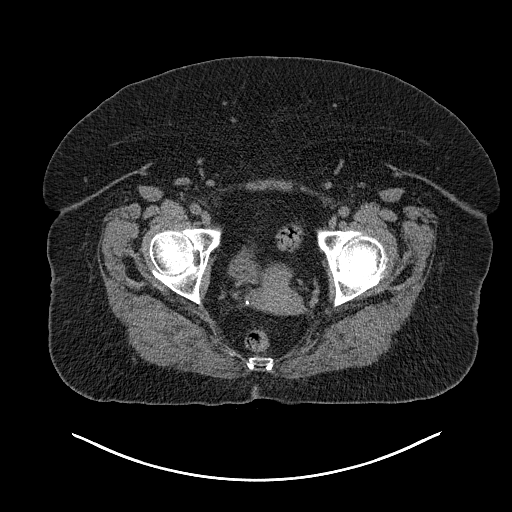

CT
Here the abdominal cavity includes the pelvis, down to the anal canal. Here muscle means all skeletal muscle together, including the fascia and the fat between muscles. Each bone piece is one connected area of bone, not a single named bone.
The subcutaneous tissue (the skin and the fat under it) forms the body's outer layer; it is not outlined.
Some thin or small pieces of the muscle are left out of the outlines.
Outlines (x, y in pixels):
muscle: 270 177; 359 200; 382 189; 402 187; 436 215; 431 269; 409 319; 394 335; 393 346; 371 365; 298 379; 258 372; 229 380; 144 361; 128 344; 126 328; 110 309; 100 275; 97 245; 105 214; 127 201; 138 184; 197 195 with a hole at 267 190; 315 197; 326 211; 321 229; 363 231; 389 257; 375 286; 333 306; 324 256; 328 303; 299 343; 271 356; 269 371; 228 353; 251 356; 229 344; 205 305; 214 249; 200 304; 157 279; 148 253; 162 230; 222 231; 226 194
abdominal cavity: 267 190; 301 192; 315 197; 325 207; 325 220; 315 231; 315 241; 325 256; 328 303; 299 343; 286 352; 271 356; 248 355; 229 344; 218 322; 210 315; 205 301; 215 250; 221 244; 224 229; 216 219; 221 212; 222 197; 236 191
torso: 249 55; 337 60; 397 76; 452 111; 488 154; 500 201; 488 216; 493 248; 480 290; 477 353; 454 387; 397 403; 287 405; 263 398; 150 405; 92 400; 58 375; 48 349; 46 253; 57 212; 42 196; 53 152; 82 117; 129 83
bones 1: 185 228; 215 228; 221 229; 222 231; 220 244; 210 253; 201 278; 199 287; 199 295; 201 300; 200 304; 197 304; 174 292; 157 279; 151 272; 153 265; 148 253; 148 249; 149 243; 152 237; 156 233; 162 230; 166 229; 181 230
bones 2: 320 228; 325 230; 343 231; 360 230; 377 238; 383 244; 389 257; 389 260; 383 273; 383 278; 375 286; 369 288; 354 298; 337 306; 333 306; 335 296; 333 276; 329 268; 326 256; 324 252; 319 248; 316 241; 316 231
bones 3: 230 349; 235 351; 245 359; 251 356; 262 356; 263 357; 272 357; 275 360; 271 370; 269 371; 265 370; 263 366; 257 366; 254 370; 250 370; 247 366; 246 364; 246 361; 245 360; 237 356; 232 356; 228 353; 228 351